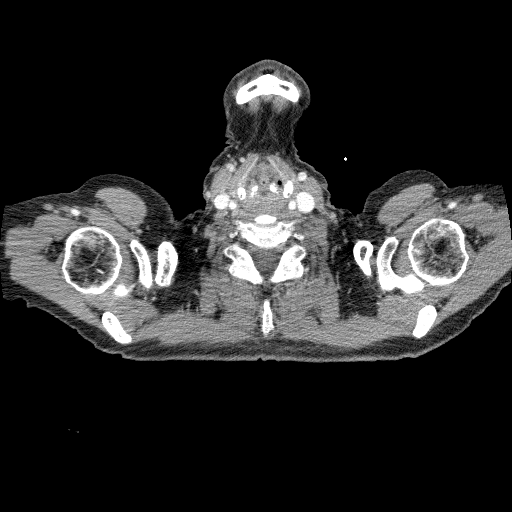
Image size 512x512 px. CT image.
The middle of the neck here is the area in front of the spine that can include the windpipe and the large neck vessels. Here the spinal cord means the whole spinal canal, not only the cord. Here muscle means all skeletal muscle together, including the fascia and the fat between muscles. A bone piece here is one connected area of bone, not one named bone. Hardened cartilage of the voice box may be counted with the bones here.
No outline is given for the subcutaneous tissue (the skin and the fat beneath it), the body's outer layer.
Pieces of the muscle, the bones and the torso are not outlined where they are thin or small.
Outlines:
middle of the neck: (263, 159) (275, 169) (281, 181) (282, 198) (288, 198) (298, 192) (310, 194) (315, 200) (315, 210) (310, 215) (278, 220) (274, 214) (262, 213) (253, 221) (245, 221) (237, 219) (230, 212) (215, 208) (216, 194) (227, 193) (234, 199) (246, 197) (250, 173) (257, 162)
torso 1: (409, 169) (423, 170) (411, 187) (406, 219) (408, 256) (436, 301) (450, 313) (472, 321) (469, 327) (445, 344) (416, 358) (336, 363) (303, 362) (325, 345) (333, 327) (348, 258) (348, 226) (344, 208) (353, 214) (359, 212) (368, 193) (372, 189) (378, 187) (395, 174)
torso 2: (105, 173) (118, 173) (138, 179) (162, 194) (171, 206) (176, 218) (180, 219) (188, 214) (185, 226) (186, 277) (187, 297) (191, 312) (198, 325) (237, 361) (134, 361) (124, 359) (118, 354) (102, 352) (81, 337) (96, 325) (128, 256) (128, 239) (117, 207) (100, 176)
bones 1: (435, 217) (456, 222) (465, 234) (469, 258) (461, 276) (445, 285) (426, 286) (421, 293) (406, 294) (398, 288) (383, 292) (376, 280) (376, 254) (385, 238) (394, 236) (398, 240) (390, 262) (392, 269) (400, 276) (408, 274) (412, 271) (407, 256) (409, 239) (416, 228)
bones 2: (262, 214) (295, 221) (303, 238) (288, 241) (305, 248) (302, 262) (309, 268) (301, 278) (279, 285) (270, 303) (274, 327) (266, 336) (261, 331) (262, 296) (248, 281) (230, 276) (231, 260) (222, 252) (237, 241) (247, 245) (239, 234) (229, 236) (236, 220) (253, 222); inner edge: (274, 249) (278, 252) (279, 252) (278, 262) (277, 263) (276, 267) (274, 269) (271, 275) (267, 280) (267, 282) (268, 283) (266, 283) (266, 281) (264, 279) (264, 277) (257, 269) (254, 263) (254, 260) (253, 259) (253, 255) (252, 253) (253, 253) (256, 250) (273, 250)
bones 3: (84, 226) (102, 228) (110, 233) (118, 243) (122, 256) (122, 263) (114, 283) (122, 282) (126, 285) (134, 282) (136, 283) (133, 290) (126, 297) (112, 301) (110, 297) (110, 288) (104, 294) (86, 295) (72, 287) (65, 280) (61, 269) (64, 257) (65, 240) (74, 230)
bones 4: (132, 239) (139, 240) (147, 249) (152, 265) (152, 273) (154, 276) (157, 267) (158, 246) (164, 240) (169, 240) (173, 244) (177, 252) (177, 264) (171, 278) (171, 283) (168, 286) (159, 286) (154, 282) (149, 289) (146, 289) (137, 281) (139, 273) (138, 262) (129, 245)
bones 5: (265, 73) (271, 73) (280, 79) (283, 79) (289, 82) (293, 82) (300, 90) (300, 95) (297, 102) (294, 103) (289, 99) (286, 99) (277, 94) (267, 94) (258, 95) (250, 100) (249, 99) (245, 100) (242, 104) (236, 103) (235, 95) (238, 87) (244, 85) (250, 80)
bones 6: (106, 311) (111, 312) (113, 314) (117, 316) (123, 328) (129, 334) (131, 335) (131, 338) (132, 339) (131, 343) (129, 344) (125, 344) (124, 345) (123, 344) (121, 344) (117, 342) (111, 336) (110, 336) (109, 334) (105, 330) (105, 329) (102, 325) (102, 315) (103, 313)
bones 7: (426, 304) (431, 304) (434, 306) (436, 310) (436, 313) (437, 314) (433, 322) (433, 325) (430, 328) (427, 333) (424, 336) (420, 336) (417, 338) (415, 338) (412, 336) (412, 331) (414, 328) (414, 326) (416, 322) (416, 316) (417, 315) (417, 312) (419, 309) (420, 309)
bones 8: (358, 239) (365, 239) (366, 240) (368, 240) (372, 245) (372, 254) (369, 257) (369, 264) (370, 265) (370, 268) (371, 269) (372, 273) (371, 275) (369, 276) (367, 276) (361, 270) (359, 266) (356, 263) (356, 261) (354, 258) (354, 255) (353, 254) (353, 246) (356, 240)
bones 9: (255, 156) (258, 157) (258, 160) (256, 162) (255, 166) (250, 171) (246, 180) (246, 184) (245, 185) (246, 194) (245, 197) (242, 198) (236, 198) (236, 193) (235, 191) (238, 186) (238, 182) (240, 180) (240, 178) (242, 175) (246, 171) (248, 163) (250, 163) (253, 160)
bones 10: (268, 156) (271, 157) (274, 160) (274, 161) (276, 164) (276, 166) (277, 167) (277, 168) (278, 169) (279, 169) (281, 171) (281, 172) (282, 173) (282, 174) (281, 175) (281, 177) (280, 177) (279, 176) (279, 174) (276, 171) (276, 169) (270, 163) (270, 162) (266, 158)
spinal cord: (274, 249) (278, 252) (279, 252) (278, 262) (277, 263) (276, 267) (274, 269) (271, 275) (267, 280) (267, 282) (268, 283) (266, 283) (266, 281) (264, 279) (264, 277) (257, 269) (254, 263) (254, 260) (253, 259) (253, 255) (252, 253) (253, 253) (256, 250) (273, 250)
head and neck: (263, 59) (289, 66) (305, 82) (309, 105) (295, 127) (294, 145) (325, 178) (329, 200) (343, 208) (347, 226) (347, 258) (332, 327) (324, 345) (302, 362) (238, 361) (199, 325) (188, 297) (186, 226) (189, 214) (205, 206) (204, 179) (227, 144) (224, 92) (234, 75)
muscle 1: (267, 95) (291, 102) (274, 114) (273, 133) (284, 155) (318, 181) (325, 207) (350, 232) (369, 224) (386, 198) (420, 182) (432, 183) (440, 197) (484, 193) (506, 205) (511, 268) (433, 332) (438, 314) (426, 303) (416, 312) (414, 339) (364, 348) (125, 345) (132, 335) (111, 311) (101, 315) (108, 335) (9, 278) (0, 244) (7, 229) (48, 203) (89, 205) (105, 186) (143, 196) (161, 236) (192, 227) (209, 211) (217, 168) (258, 125) (240, 105); inner edges: (255, 156) (259, 160) (271, 157) (282, 173) (280, 180) (291, 179) (293, 194) (308, 192) (315, 200) (310, 215) (293, 220) (295, 231) (303, 238) (288, 241) (305, 248) (302, 262) (309, 269) (301, 278) (279, 285) (279, 294) (270, 303) (274, 327) (266, 336) (261, 331) (262, 296) (248, 281) (230, 276) (227, 266) (231, 260) (222, 252) (234, 242) (247, 243) (239, 234) (229, 236) (236, 228) (235, 216) (215, 208) (216, 194) (236, 198) (238, 182), then (435, 217) (456, 222) (465, 234) (469, 258) (461, 276) (445, 285) (426, 286) (421, 293) (406, 294) (398, 288) (383, 292) (376, 280) (376, 254) (385, 238) (394, 236) (398, 240) (390, 262) (392, 269) (400, 276) (408, 274) (412, 271) (407, 256) (409, 239) (416, 228), then (84, 226) (102, 228) (110, 233) (118, 243) (122, 256) (122, 263) (114, 283) (122, 282) (126, 285) (134, 282) (136, 283) (133, 290) (126, 297) (112, 301) (110, 297) (110, 288) (104, 294) (86, 295) (72, 287) (65, 280) (61, 269) (64, 257) (65, 240) (74, 230), then (132, 239) (139, 240) (147, 249) (152, 265) (152, 273) (154, 276) (157, 267) (158, 246) (164, 240) (169, 240) (173, 244) (177, 252) (177, 264) (171, 278) (171, 283) (168, 286) (159, 286) (154, 282) (149, 289) (146, 289) (137, 281) (139, 273) (138, 262) (129, 245), then (358, 239) (365, 239) (366, 240) (368, 240) (372, 245) (372, 254) (369, 257) (369, 264) (370, 265) (370, 268) (371, 269) (372, 273) (371, 275) (369, 276) (367, 276) (361, 270) (359, 266) (356, 263) (356, 261) (354, 258) (354, 255) (353, 254) (353, 246) (356, 240)
muscle 2: (265, 65) (273, 65) (282, 71) (285, 71) (294, 78) (298, 86) (293, 81) (289, 81) (286, 79) (280, 78) (271, 72) (265, 72) (250, 79) (244, 84) (239, 85) (236, 89) (235, 94) (234, 95) (233, 94) (233, 90) (241, 78) (248, 73) (253, 72) (259, 67)
right arm: (96, 175) (99, 175) (103, 181) (108, 194) (116, 207) (127, 239) (127, 256) (95, 325) (80, 336) (75, 330) (47, 312) (35, 307) (28, 308) (21, 299) (6, 300) (4, 298) (0, 273) (0, 238) (4, 210) (7, 204) (17, 203) (46, 194) (70, 192) (89, 178)
left arm: (424, 169) (436, 174) (450, 187) (456, 185) (467, 185) (476, 183) (493, 183) (499, 184) (504, 194) (507, 212) (510, 218) (509, 229) (511, 230) (511, 281) (501, 290) (498, 297) (473, 320) (452, 313) (439, 303) (416, 270) (409, 256) (407, 219) (412, 195) (412, 187)